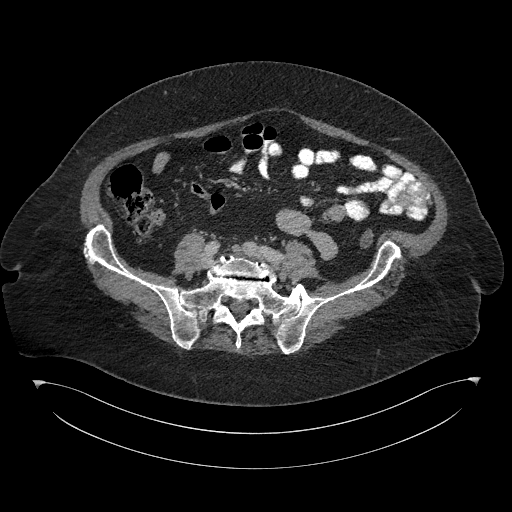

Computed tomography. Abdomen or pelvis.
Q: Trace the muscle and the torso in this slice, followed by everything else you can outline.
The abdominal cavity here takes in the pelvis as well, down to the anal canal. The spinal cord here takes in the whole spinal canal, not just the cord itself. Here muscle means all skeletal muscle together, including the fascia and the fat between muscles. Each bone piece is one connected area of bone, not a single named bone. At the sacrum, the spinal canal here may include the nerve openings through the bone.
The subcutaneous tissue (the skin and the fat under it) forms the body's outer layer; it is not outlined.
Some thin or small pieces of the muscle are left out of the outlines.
A: {"muscle":[[[275,106],[286,107],[348,130],[414,161],[437,183],[448,210],[448,223],[443,236],[428,253],[416,260],[409,260],[405,267],[405,276],[398,290],[391,297],[350,319],[343,329],[331,337],[306,351],[295,354],[293,353],[297,352],[304,342],[308,323],[321,306],[376,284],[389,273],[395,260],[402,257],[400,246],[390,238],[384,239],[377,248],[378,237],[383,230],[389,228],[418,234],[423,232],[434,218],[434,198],[424,182],[381,151],[320,132],[292,113],[274,110],[256,114],[201,136],[174,137],[121,160],[105,174],[99,186],[99,200],[111,219],[112,232],[104,223],[98,222],[86,232],[83,247],[81,247],[83,242],[83,232],[79,219],[81,190],[88,174],[106,156],[143,139]],[[84,258],[90,265],[97,263],[152,290],[159,297],[167,312],[171,338],[180,348],[183,349],[176,348],[173,345],[159,339],[150,332],[140,327],[138,325],[138,322],[130,313],[128,307],[105,294],[96,286],[93,282],[92,275],[87,268]],[[210,317],[213,324],[223,323],[232,329],[235,334],[234,345],[237,349],[242,345],[242,332],[250,326],[263,325],[266,317],[269,317],[273,325],[278,324],[275,340],[282,354],[272,353],[250,357],[225,351],[192,349],[201,333],[199,322],[204,323]],[[293,240],[305,244],[311,250],[312,255],[315,260],[315,267],[317,269],[319,275],[318,277],[315,278],[312,277],[311,278],[293,279],[292,280],[287,277],[287,275],[283,272],[281,269],[281,266],[285,255],[285,248],[287,244],[290,241]],[[193,232],[201,236],[204,241],[203,247],[202,248],[202,255],[201,256],[200,267],[197,271],[191,274],[186,274],[185,275],[183,273],[180,273],[176,275],[173,275],[172,272],[174,269],[174,251],[176,249],[178,243],[182,238],[186,234],[192,233]],[[375,254],[371,264],[371,267],[369,269],[368,272],[365,276],[354,285],[328,296],[311,296],[308,293],[307,290],[313,290],[317,286],[319,286],[326,282],[340,283],[343,282],[351,276],[353,276],[362,272],[370,265],[370,263],[372,261],[373,257]],[[114,245],[117,252],[130,266],[135,268],[139,268],[145,271],[150,271],[162,276],[167,276],[168,277],[172,276],[174,278],[176,284],[177,285],[178,286],[179,286],[181,286],[181,287],[179,287],[176,285],[169,286],[159,283],[154,283],[148,281],[133,273],[120,261],[115,251]]],"torso":[[[248,60],[297,63],[363,82],[409,107],[446,141],[466,172],[504,261],[501,285],[481,296],[474,341],[357,390],[278,406],[186,400],[74,359],[22,355],[3,294],[3,284],[18,273],[0,266],[0,243],[21,204],[82,132],[123,97],[168,76]]],"bones":[{"outer":[[98,223],[130,272],[169,287],[200,287],[233,255],[264,263],[281,295],[302,284],[328,297],[366,276],[384,240],[401,257],[376,283],[321,305],[297,351],[282,353],[269,316],[241,332],[239,348],[233,329],[210,316],[184,349],[152,289],[84,257]],"hole":[[224,295],[227,295],[231,297],[234,300],[249,300],[250,299],[256,299],[257,300],[257,305],[256,306],[254,306],[247,313],[246,313],[245,315],[242,318],[238,320],[235,317],[235,316],[233,314],[231,310],[226,305],[225,305],[221,302],[221,297]]}],"spinal_cord":[[[224,295],[227,295],[231,297],[234,300],[249,300],[250,299],[256,299],[257,300],[257,305],[256,306],[254,306],[247,313],[246,313],[245,315],[242,318],[238,320],[235,317],[235,316],[233,314],[231,310],[226,305],[225,305],[221,302],[221,297]]],"abdominal_cavity":[{"outer":[[274,111],[373,148],[413,173],[433,198],[429,225],[418,233],[385,228],[365,269],[313,289],[297,283],[287,295],[273,288],[276,276],[264,262],[244,256],[221,255],[206,283],[187,288],[172,275],[130,265],[100,200],[106,174],[174,138],[201,137]],"hole":[[293,240],[305,244],[311,250],[312,255],[315,260],[315,267],[317,269],[319,275],[318,277],[315,278],[312,277],[311,278],[293,279],[292,280],[287,277],[287,275],[283,272],[281,269],[281,266],[285,255],[285,248],[287,244],[290,241]]}]}